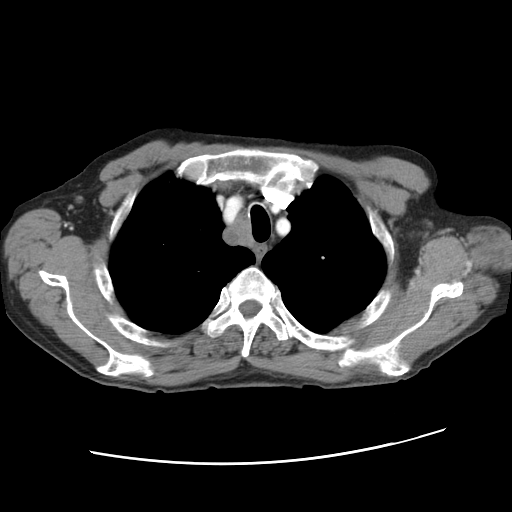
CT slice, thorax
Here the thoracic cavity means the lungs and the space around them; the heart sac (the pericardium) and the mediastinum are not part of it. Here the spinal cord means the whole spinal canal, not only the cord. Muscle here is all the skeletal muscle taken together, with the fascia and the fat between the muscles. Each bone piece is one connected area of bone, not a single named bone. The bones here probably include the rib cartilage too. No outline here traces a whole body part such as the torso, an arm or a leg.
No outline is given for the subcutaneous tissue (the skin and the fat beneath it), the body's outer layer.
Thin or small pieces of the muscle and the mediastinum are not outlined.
Outlines (x, y in pixels):
mediastinum: 228,180 262,185 295,182 304,186 301,193 286,208 287,218 290,222 289,232 264,255 260,268 254,265 255,255 250,249 242,245 227,245 223,240 222,231 225,225 222,213 214,194 207,186 216,181
bones 1: 252,265 303,326 352,337 356,350 388,342 415,324 435,285 461,281 463,290 438,299 399,342 399,356 411,368 390,376 372,363 341,367 342,349 279,340 263,323 245,358 237,324 216,337 202,331 223,287, around a hole outlined by 247,300 254,300 255,301 256,301 258,303 259,303 259,304 260,305 260,308 259,309 259,310 254,315 253,315 250,317 246,317 240,311 240,310 239,309 239,306 243,302 244,302
bones 2: 237,148 255,148 270,152 293,153 315,161 319,168 309,188 305,188 301,182 295,181 281,183 276,181 262,184 232,179 216,180 206,186 197,185 184,178 175,176 174,170 181,162 189,157 201,154 217,154
bones 3: 39,270 64,275 69,286 73,312 79,321 116,351 127,354 139,354 147,358 154,374 148,377 128,373 113,376 98,372 95,367 104,364 109,357 107,349 71,319 66,309 64,289 60,286 45,283 38,273
bones 4: 109,313 117,313 121,316 130,320 137,325 145,329 152,331 153,332 153,334 152,335 154,337 160,340 169,342 169,346 167,347 148,346 147,345 136,342 124,336 114,327 114,326 108,319 107,317 107,314
bones 5: 367,205 371,206 377,211 378,214 381,217 387,230 391,236 391,240 393,244 394,253 393,254 393,260 390,266 388,266 387,264 387,258 386,257 386,254 383,246 372,233 371,227 367,217 366,209 365,208
bones 6: 382,288 386,288 387,289 389,289 391,292 391,296 390,297 390,299 385,309 379,316 379,317 373,322 362,328 358,328 357,327 357,325 358,324 358,322 361,316 361,312 370,303 370,302 377,294 379,290
bones 7: 135,188 137,188 138,189 138,193 133,202 131,209 128,215 124,220 121,227 119,229 114,240 111,243 110,243 108,240 108,233 109,232 110,226 111,225 113,217 115,214 115,212 128,192 130,190 132,190
bones 8: 100,262 103,262 106,264 107,266 107,269 109,272 109,275 110,276 110,278 112,282 112,285 114,289 114,293 116,297 116,302 113,304 111,304 103,296 95,280 95,276 93,272 93,267 95,263 99,263
muscle: 155,139 171,144 287,146 352,160 386,155 409,161 422,168 431,182 417,203 424,217 440,228 501,227 511,235 511,271 473,323 425,352 412,367 400,356 400,342 429,318 438,300 463,293 461,280 435,284 415,323 388,341 356,349 354,337 329,332 360,313 356,327 370,325 391,299 391,290 381,286 395,250 378,211 367,204 365,212 340,179 327,173 316,176 319,164 293,152 237,147 189,156 139,192 137,187 130,189 114,212 107,233 111,244 107,265 100,261 92,267 102,296 111,305 117,300 127,315 107,313 113,327 136,343 167,348 170,342 154,332 179,335 198,326 216,338 237,325 242,332 240,355 245,359 263,324 279,341 295,338 312,349 342,350 337,360 341,368 372,364 386,375 331,383 272,374 244,360 231,371 171,386 103,376 30,312 8,278 4,242 11,226 27,211 42,207 64,215 76,212 110,160; inner edge: 39,270 64,275 69,286 73,312 79,321 116,351 127,354 139,354 147,358 154,374 148,377 128,373 113,376 98,372 95,367 104,364 109,357 107,349 71,319 66,309 64,289 60,286 45,283 38,273
spinal cord: 247,300 254,300 255,301 256,301 258,303 259,303 259,304 260,305 260,308 259,309 259,310 254,315 253,315 250,317 246,317 240,311 240,310 239,309 239,306 243,302 244,302
thoracic cavity 1: 170,171 177,179 207,187 221,213 224,225 221,231 222,240 227,246 247,248 254,255 253,264 243,268 222,287 218,300 206,317 197,326 179,334 156,332 129,319 117,299 108,269 111,245 138,194 147,184
thoracic cavity 2: 321,174 337,178 350,190 366,215 371,233 383,248 387,265 380,288 369,303 359,313 328,333 315,332 296,319 285,305 279,288 261,268 265,255 290,232 291,222 288,218 287,208 305,189 309,189 315,178